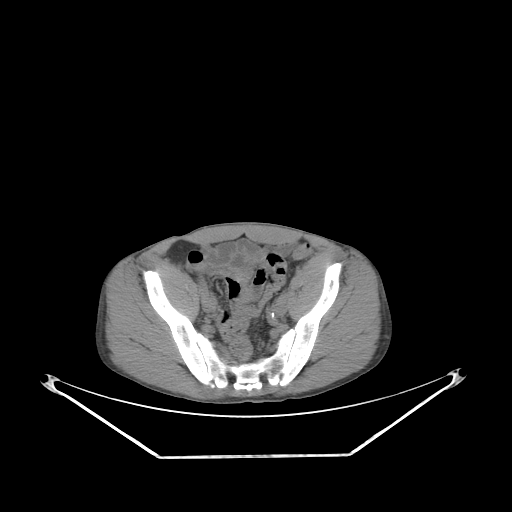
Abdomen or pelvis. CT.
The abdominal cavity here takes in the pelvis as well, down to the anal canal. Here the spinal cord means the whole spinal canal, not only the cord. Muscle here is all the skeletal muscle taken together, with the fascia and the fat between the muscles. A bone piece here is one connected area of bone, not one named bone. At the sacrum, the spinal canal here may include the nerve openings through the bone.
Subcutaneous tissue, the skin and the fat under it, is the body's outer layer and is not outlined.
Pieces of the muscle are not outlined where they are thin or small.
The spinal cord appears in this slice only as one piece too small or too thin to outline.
The muscle appears in 2 outlined pieces: piece 1: 219,225 283,227 325,239 362,256 376,275 380,301 380,337 370,361 363,368 343,378 293,396 230,396 218,399 201,399 174,392 144,382 117,367 109,357 110,351 105,338 105,291 113,270 124,260 163,241; inner edge: 244,236 262,244 304,239 315,247 289,283 293,322 319,297 326,266 342,263 309,358 285,386 264,379 250,390 203,384 147,295 142,271 157,271 169,301 193,324 201,309 197,285 168,250 179,241 220,244; piece 2: 213,341 214,341 215,342 218,342 220,344 221,344 229,352 229,353 237,362 236,362 235,363 229,363 226,359 225,359 223,357 221,357 219,355 219,354 216,350 216,349 213,347 213,346 212,345 212,342. The bones are outlined by 335,262 342,263 339,289 319,322 308,360 287,385 264,379 260,389 250,390 236,390 230,382 212,388 191,373 169,326 152,307 142,275 157,271 172,305 221,358 235,364 275,351 280,336 315,303 326,266. The torso is outlined by 224,221 284,224 350,244 362,251 380,273 392,317 392,337 383,359 357,379 316,396 281,402 239,404 206,404 164,395 142,387 106,367 96,351 94,327 100,286 111,266 126,254 162,238 182,234 201,225. The abdominal cavity is outlined by 244,236 262,244 304,239 316,250 296,269 289,283 286,307 294,325 282,333 275,344 269,346 267,352 271,354 238,362 221,343 211,340 195,327 196,316 201,309 197,285 166,254 179,241 200,245 220,244.